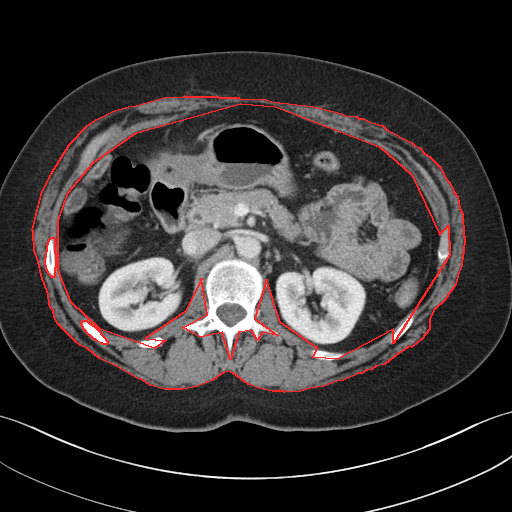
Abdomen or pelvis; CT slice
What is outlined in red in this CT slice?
red: muscle.
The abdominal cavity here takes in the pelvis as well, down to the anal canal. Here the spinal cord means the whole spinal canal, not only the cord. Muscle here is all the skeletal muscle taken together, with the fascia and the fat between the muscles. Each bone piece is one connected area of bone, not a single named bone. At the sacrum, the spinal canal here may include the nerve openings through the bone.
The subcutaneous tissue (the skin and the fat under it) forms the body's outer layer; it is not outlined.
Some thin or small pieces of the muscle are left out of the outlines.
{"muscle":[{"outer":[[185,95],[186,96],[217,96],[218,97],[238,97],[239,98],[266,99],[271,101],[313,106],[341,113],[345,115],[356,116],[358,118],[363,118],[371,122],[382,125],[386,129],[411,142],[414,145],[419,147],[424,153],[429,156],[439,166],[446,179],[449,182],[453,191],[457,196],[459,208],[462,213],[463,235],[464,236],[463,253],[462,254],[461,266],[458,272],[455,284],[444,300],[434,309],[429,318],[429,329],[421,339],[411,347],[409,346],[398,353],[384,364],[375,366],[371,369],[366,370],[361,373],[358,373],[343,380],[336,381],[323,386],[309,388],[300,391],[284,392],[283,391],[272,391],[259,388],[248,384],[230,371],[223,372],[212,380],[197,386],[182,389],[165,389],[150,385],[141,379],[137,378],[116,366],[99,358],[87,348],[80,345],[75,341],[58,324],[54,317],[53,310],[50,307],[49,304],[48,294],[41,275],[38,261],[34,250],[33,231],[32,230],[41,194],[51,173],[69,144],[87,125],[96,119],[112,111],[128,106],[136,105],[164,97],[184,96]],"holes":[[[240,103],[275,106],[379,146],[411,174],[439,234],[448,225],[449,255],[393,343],[393,329],[337,359],[313,357],[317,348],[280,322],[266,279],[254,318],[277,335],[262,332],[257,340],[251,330],[238,332],[230,359],[222,332],[200,337],[182,327],[207,314],[201,278],[185,311],[145,338],[165,340],[154,348],[100,329],[71,302],[58,270],[58,220],[68,192],[93,162],[136,132]],[[51,237],[53,237],[54,238],[54,252],[55,253],[55,267],[54,268],[54,277],[52,277],[48,273],[48,272],[46,269],[46,266],[45,265],[45,257],[46,256],[46,251],[47,250],[47,244],[48,243],[48,241],[49,240],[49,239]],[[82,320],[86,320],[89,323],[90,323],[92,325],[93,325],[97,329],[98,329],[98,330],[107,341],[107,343],[106,344],[103,344],[102,343],[97,341],[95,339],[94,339],[90,335],[89,335],[83,328],[83,327],[81,324],[81,322],[82,321]]]}],"bones":[{"outer":[[230,258],[253,265],[262,275],[263,290],[255,305],[254,318],[276,331],[277,335],[262,332],[257,340],[251,330],[238,332],[233,338],[229,359],[227,340],[222,332],[212,330],[200,337],[196,331],[184,330],[182,327],[207,314],[206,277],[214,264]],"hole":[[227,303],[228,304],[236,304],[237,305],[239,305],[245,311],[245,315],[244,317],[243,317],[240,320],[236,322],[233,325],[228,325],[226,324],[218,316],[217,314],[217,309],[220,306],[224,304],[226,304]]},[[447,224],[448,225],[448,248],[449,249],[449,255],[446,261],[443,264],[439,264],[439,262],[438,261],[438,256],[437,255],[437,252],[438,251],[438,248],[439,247],[439,244],[440,243],[440,235],[443,230],[443,228],[445,226],[445,225]],[[51,237],[53,237],[54,238],[54,252],[55,253],[55,267],[54,268],[54,277],[52,277],[48,273],[48,272],[46,269],[46,266],[45,265],[45,257],[46,256],[46,251],[47,250],[47,244],[48,243],[48,241],[49,240],[49,239]],[[411,311],[414,311],[414,319],[413,320],[411,325],[407,329],[407,330],[396,341],[395,341],[393,343],[390,343],[388,341],[388,340],[390,338],[390,337],[393,334],[393,333],[395,331],[396,328],[402,322],[402,321],[406,317],[406,316]],[[314,349],[319,349],[320,350],[326,350],[327,351],[334,351],[335,352],[343,352],[344,354],[343,356],[337,359],[332,359],[331,360],[322,360],[321,359],[318,359],[317,358],[315,358],[313,357],[310,354],[310,351]],[[82,320],[86,320],[89,323],[90,323],[92,325],[93,325],[97,329],[98,329],[98,330],[107,341],[107,343],[106,344],[103,344],[102,343],[97,341],[95,339],[94,339],[90,335],[89,335],[83,328],[83,327],[81,324],[81,322],[82,321]],[[157,336],[159,336],[160,337],[163,338],[165,340],[165,341],[160,346],[158,346],[157,347],[155,347],[154,348],[149,348],[148,347],[140,347],[136,344],[136,342],[138,340],[141,340],[142,339],[149,339],[150,338],[153,338],[154,337],[156,337]]],"torso":[[[226,50],[304,55],[379,74],[430,101],[468,137],[504,221],[511,313],[496,347],[464,380],[394,417],[353,428],[280,431],[232,421],[209,431],[171,432],[83,406],[40,383],[12,353],[0,330],[0,186],[32,131],[61,98],[104,72],[159,57]]],"abdominal_cavity":[[[240,103],[275,106],[379,146],[427,199],[439,229],[435,284],[374,343],[344,352],[305,341],[280,322],[260,271],[236,257],[214,263],[204,286],[195,280],[185,311],[141,339],[100,329],[68,297],[58,270],[59,214],[93,162],[136,132],[195,110]]],"spinal_cord":[[[227,303],[228,304],[236,304],[237,305],[239,305],[245,311],[245,315],[244,317],[243,317],[240,320],[236,322],[233,325],[228,325],[226,324],[218,316],[217,314],[217,309],[220,306],[224,304],[226,304]]]}